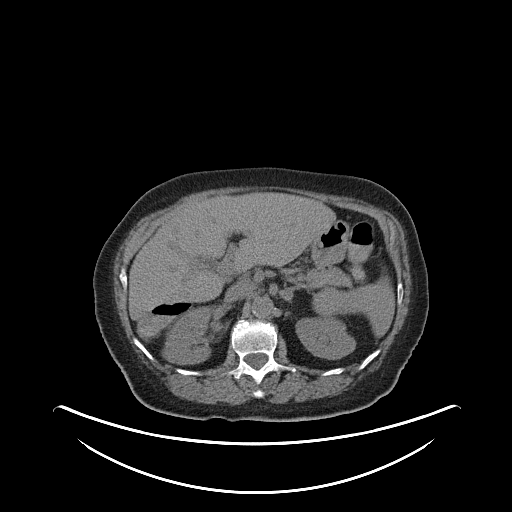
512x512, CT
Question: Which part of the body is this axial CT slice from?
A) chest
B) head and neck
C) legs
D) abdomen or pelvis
Answer: D) abdomen or pelvis
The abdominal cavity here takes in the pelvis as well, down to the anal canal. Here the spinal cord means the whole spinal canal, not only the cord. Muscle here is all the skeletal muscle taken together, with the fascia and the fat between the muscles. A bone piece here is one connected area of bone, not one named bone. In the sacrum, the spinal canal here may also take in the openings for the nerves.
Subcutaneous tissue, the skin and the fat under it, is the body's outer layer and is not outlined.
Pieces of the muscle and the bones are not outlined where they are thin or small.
torso: 248,166 279,166 372,180 393,193 406,207 414,222 428,274 427,319 423,333 394,387 363,409 304,421 202,420 169,415 148,408 134,396 103,341 94,314 93,271 104,242 129,208 147,190 177,175 198,170
muscle: 238,186 282,186 283,187 290,187 308,191 313,191 319,193 347,196 365,201 370,204 378,207 381,207 387,210 398,220 402,226 404,231 404,237 406,240 406,246 408,252 408,262 411,277 411,290 410,291 410,301 408,304 408,312 399,333 394,338 394,340 388,349 379,368 364,376 355,385 348,390 346,390 338,395 331,397 323,397 318,399 307,400 303,402 283,403 282,404 271,403 263,399 262,398 264,397 265,393 260,388 257,388 252,392 252,395 256,398 252,398 250,400 237,405 206,404 186,399 182,399 178,396 174,395 167,388 160,377 149,369 140,360 126,337 124,329 118,315 116,303 114,298 114,291 113,290 114,286 113,284 113,275 114,273 113,272 113,267 114,266 114,260 119,247 128,235 129,231 142,217 148,213 157,209 163,208 175,202 180,197 184,195 208,189 223,188 224,187 237,187 with holes at 256,190 301,194 366,214 378,223 403,296 391,328 378,345 380,352 364,368 358,370 360,364 355,362 338,374 322,376 323,369 290,361 279,334 273,357 296,370 269,372 257,384 248,374 238,380 223,374 239,363 230,345 219,365 200,370 197,376 179,373 156,358 150,360 133,342 127,293 119,278 121,267 128,268 142,243 176,210 209,196 and at 389,220 390,221 391,221 392,222 392,223 393,224 393,225 394,226 394,228 395,229 395,237 394,238 394,240 393,241 393,243 392,244 390,244 390,231 389,230
bones 1: 239,319 257,319 272,323 277,331 274,359 278,363 294,367 296,370 294,372 289,370 282,370 279,373 269,372 259,384 248,374 243,374 238,380 232,375 223,374 235,368 239,363 238,355 230,345 232,328 with a hole at 259,353 261,353 262,354 264,354 267,357 267,360 259,368 258,368 257,369 256,369 255,368 254,368 253,367 252,367 249,364 248,364 245,361 245,357 247,355 249,355 250,354 258,354
bones 2: 378,348 379,348 380,349 380,352 369,363 368,363 367,364 367,365 364,368 363,368 360,370 358,370 358,367 359,366 359,365 361,363 361,362 368,355 369,355 372,352 373,352 376,349 377,349
bones 3: 134,336 135,336 139,340 139,341 140,342 141,342 141,343 146,348 146,349 154,357 154,358 155,359 155,360 154,361 152,361 151,360 150,360 146,356 146,355 133,342 133,341 132,340 132,339
bones 4: 122,266 124,266 126,270 126,274 127,275 127,289 126,290 126,292 124,291 123,289 123,287 122,286 122,284 119,278 119,274 120,273 120,270
bones 5: 398,281 400,281 402,283 402,285 403,286 403,296 402,297 402,299 401,300 401,303 400,304 400,305 398,305 397,304 397,283 398,282
bones 6: 175,368 181,368 182,369 185,369 186,370 191,370 192,371 199,371 201,373 201,375 200,375 199,376 197,376 196,375 184,375 183,374 182,374 181,373 179,373 178,372 177,372 175,370
bones 7: 338,367 344,367 344,370 342,372 341,372 340,373 339,373 338,374 331,374 330,375 327,375 326,376 322,376 321,375 321,373 322,373 324,371 325,371 326,370 329,370 330,369 332,369 333,368 337,368
bones 8: 389,220 390,221 391,221 392,222 392,223 393,224 393,225 394,226 394,228 395,229 395,237 394,238 394,240 393,241 393,243 392,244 390,244 390,231 389,230
spinal cord: 259,353 261,353 262,354 264,354 267,357 267,360 259,368 258,368 257,369 256,369 255,368 254,368 253,367 252,367 249,364 248,364 245,361 245,357 247,355 249,355 250,354 258,354
abdominal cavity: 256,190 301,194 366,214 378,223 395,268 397,305 388,333 359,363 325,370 296,364 288,358 286,342 276,326 257,318 237,319 224,360 203,370 163,363 135,335 128,312 127,269 142,243 172,213 194,201